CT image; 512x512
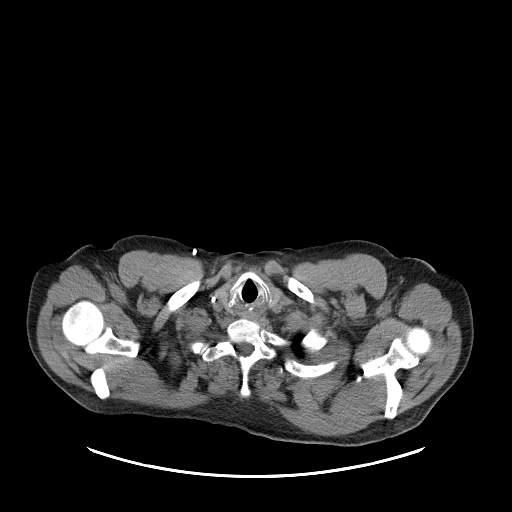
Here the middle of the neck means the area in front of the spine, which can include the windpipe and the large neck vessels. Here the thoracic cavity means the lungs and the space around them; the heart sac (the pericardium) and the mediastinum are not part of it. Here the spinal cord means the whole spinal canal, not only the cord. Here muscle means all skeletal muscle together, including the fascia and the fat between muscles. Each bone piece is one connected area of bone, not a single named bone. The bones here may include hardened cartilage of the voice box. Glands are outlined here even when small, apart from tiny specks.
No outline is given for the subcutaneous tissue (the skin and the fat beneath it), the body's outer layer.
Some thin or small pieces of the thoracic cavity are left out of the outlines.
{"thoracic_cavity":[[[297,334],[302,334],[303,335],[303,336],[301,338],[301,339],[299,342],[299,344],[303,351],[302,352],[303,353],[302,354],[302,355],[298,355],[296,353],[295,353],[291,347],[291,345],[292,344],[292,341],[291,340],[292,339],[292,338]]],"spinal_cord":[[[242,342],[245,342],[246,343],[248,343],[249,344],[250,344],[253,347],[253,349],[252,350],[252,351],[248,355],[243,355],[242,354],[240,354],[237,351],[237,350],[236,349],[236,345],[237,344],[238,344],[239,343],[241,343]]],"middle_of_the_neck":[[[247,278],[251,278],[260,286],[263,300],[270,308],[275,306],[281,297],[285,302],[285,305],[277,313],[266,313],[246,318],[234,317],[214,311],[210,300],[214,293],[214,296],[222,304],[224,309],[232,314],[233,311],[231,307],[235,303],[238,287]]],"thyroid_glands":[[[225,284],[229,284],[230,285],[230,287],[228,290],[228,305],[230,307],[230,308],[232,311],[232,313],[230,313],[228,311],[227,311],[225,309],[225,308],[224,307],[223,304],[215,296],[215,291],[216,291],[217,290],[218,290],[220,288],[221,288]],[[271,287],[272,287],[273,288],[274,288],[275,289],[278,290],[280,293],[280,297],[279,298],[278,301],[275,304],[275,305],[274,305],[272,307],[270,307],[269,306],[270,305],[270,304],[272,301],[272,292],[270,289],[270,288]]],"torso":[[[134,234],[169,237],[194,249],[223,253],[363,239],[396,256],[422,259],[457,278],[467,291],[473,316],[470,357],[420,424],[360,446],[279,441],[194,419],[91,412],[58,387],[31,352],[26,333],[31,282],[40,266],[64,259],[85,244],[105,249]]],"muscle":[{"outer":[[136,249],[250,263],[369,254],[446,295],[462,333],[458,362],[397,415],[396,373],[433,340],[409,326],[354,380],[384,383],[384,419],[339,436],[306,433],[249,398],[249,373],[282,348],[312,354],[328,338],[312,327],[288,339],[247,318],[286,305],[249,269],[209,298],[237,318],[224,335],[188,344],[205,362],[234,358],[242,397],[184,409],[115,399],[102,366],[89,375],[94,394],[44,360],[39,310],[69,266]],"holes":[[[83,299],[89,300],[97,305],[103,315],[105,324],[110,326],[112,332],[115,336],[121,339],[131,339],[139,343],[140,345],[139,350],[135,357],[129,357],[120,354],[88,353],[81,346],[75,345],[66,339],[62,332],[61,326],[63,315],[70,306]],[[285,357],[296,360],[300,363],[307,364],[308,365],[316,365],[320,363],[325,363],[331,360],[336,360],[337,361],[337,364],[331,371],[327,372],[322,375],[311,378],[302,378],[293,375],[286,370],[281,374],[278,372],[278,367],[283,363],[283,359]],[[197,280],[200,280],[200,284],[199,285],[199,287],[197,291],[187,301],[186,301],[182,305],[178,307],[175,310],[173,311],[170,311],[168,309],[167,305],[166,304],[167,303],[168,299],[175,292],[176,292],[182,287],[185,286],[189,283],[191,283]],[[288,277],[293,277],[299,282],[300,282],[306,287],[307,287],[312,292],[312,293],[313,294],[313,297],[314,298],[314,302],[313,303],[312,303],[311,302],[309,302],[307,300],[306,300],[305,299],[298,296],[292,291],[291,291],[287,287],[287,278]]]}],"bones":[{"outer":[[238,318],[255,321],[261,328],[291,341],[290,346],[279,349],[276,358],[262,358],[252,365],[248,373],[248,397],[240,395],[242,374],[240,364],[234,357],[228,354],[212,361],[205,361],[189,347],[189,344],[196,340],[219,340],[225,335],[227,326]],"hole":[[242,342],[245,342],[246,343],[248,343],[249,344],[250,344],[253,347],[253,349],[252,350],[252,351],[248,355],[243,355],[242,354],[240,354],[237,351],[237,350],[236,349],[236,345],[237,344],[238,344],[239,343],[241,343]]},[[415,325],[429,332],[431,346],[415,366],[396,371],[395,376],[401,385],[402,396],[396,416],[387,419],[384,417],[387,395],[385,383],[372,378],[362,378],[359,382],[355,380],[363,373],[361,363],[385,354],[394,338],[403,336],[409,327]],[[83,299],[89,300],[97,305],[103,315],[105,324],[110,326],[112,332],[115,336],[121,339],[131,339],[139,343],[140,345],[139,350],[135,357],[129,357],[120,354],[88,353],[81,346],[75,345],[66,339],[62,332],[61,326],[63,315],[70,306]],[[285,357],[296,360],[300,363],[307,364],[308,365],[316,365],[320,363],[325,363],[331,360],[336,360],[337,361],[337,364],[331,371],[327,372],[322,375],[311,378],[302,378],[293,375],[286,370],[281,374],[278,372],[278,367],[283,363],[283,359]],[[249,270],[254,272],[259,276],[268,286],[271,292],[271,301],[269,305],[268,303],[264,300],[264,294],[261,286],[251,277],[247,277],[242,281],[237,287],[234,297],[234,303],[230,306],[229,305],[229,290],[231,286],[243,272]],[[197,280],[200,280],[200,284],[199,285],[199,287],[197,291],[187,301],[186,301],[182,305],[178,307],[175,310],[173,311],[170,311],[168,309],[167,305],[166,304],[167,303],[168,299],[175,292],[176,292],[182,287],[185,286],[189,283],[191,283]],[[312,328],[314,328],[316,329],[322,335],[324,336],[326,336],[327,338],[327,342],[320,349],[312,353],[308,353],[307,352],[305,352],[303,350],[300,344],[300,342],[302,338],[304,336],[304,335],[306,334]],[[99,367],[102,367],[105,372],[106,381],[107,382],[107,384],[109,388],[109,392],[110,393],[109,394],[109,397],[106,399],[101,399],[96,395],[94,391],[94,388],[92,386],[90,382],[90,375],[91,373],[95,369]],[[288,277],[293,277],[299,282],[300,282],[306,287],[307,287],[312,292],[312,293],[313,294],[313,297],[314,298],[314,302],[313,303],[312,303],[311,302],[309,302],[307,300],[306,300],[305,299],[298,296],[292,291],[291,291],[287,287],[287,278]]]}